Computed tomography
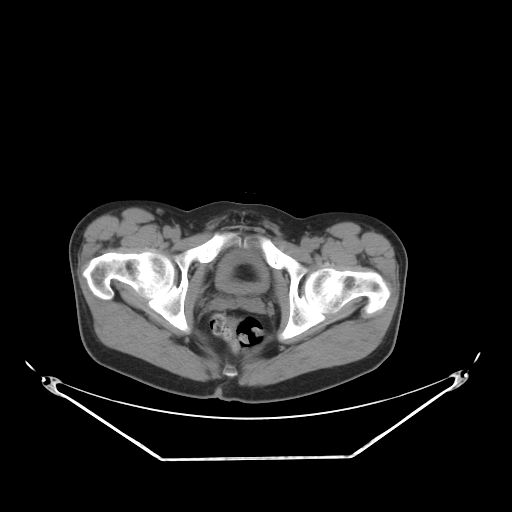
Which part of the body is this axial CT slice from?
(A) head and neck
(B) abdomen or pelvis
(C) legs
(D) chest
(B) abdomen or pelvis
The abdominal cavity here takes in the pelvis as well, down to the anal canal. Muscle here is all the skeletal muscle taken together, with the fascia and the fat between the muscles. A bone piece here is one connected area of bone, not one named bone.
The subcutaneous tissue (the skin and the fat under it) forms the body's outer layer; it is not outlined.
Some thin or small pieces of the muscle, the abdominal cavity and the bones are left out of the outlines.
The abdominal cavity is outlined by 249,242 252,242 260,250 265,261 272,268 271,281 280,317 278,326 273,333 267,335 258,345 239,359 230,361 221,357 208,339 197,328 194,315 196,302 204,284 206,272 218,255 233,244 246,246. The bones are outlined by 216,231 265,235 309,273 375,271 390,296 370,314 363,310 368,299 356,297 280,342 290,276 268,264 253,237 213,261 190,264 186,334 126,283 112,279 112,298 96,296 82,272 106,252 151,249 172,261 with a hole at 175,264 176,265 176,266 178,268 178,269 179,270 179,272 180,273 179,274 179,279 178,280 178,282 177,282 176,281 176,277 177,276 177,272 176,271 176,267 175,266. The torso is outlined by 115,199 153,199 186,210 228,200 267,204 296,217 325,211 351,211 379,218 397,233 408,258 403,308 391,354 374,370 337,386 298,398 266,403 182,396 98,364 86,352 79,335 68,242 76,223 89,210. The muscle is outlined by 128,207 140,207 151,213 155,213 188,232 198,233 208,229 219,228 224,224 258,226 266,228 272,234 289,241 341,221 352,221 372,227 389,240 393,246 395,258 399,266 397,305 381,343 362,359 310,371 262,387 241,386 235,380 225,381 224,379 205,382 195,381 104,345 95,334 91,313 79,284 77,276 78,241 81,232 96,217 111,210; inner edges: 216,231 265,235 309,273 375,271 390,296 370,314 356,297 280,342 290,276 273,268 278,326 230,361 195,323 211,261 187,271 189,334 130,285 112,279 114,294 102,299 82,275 106,252 151,249 172,261, then 226,370 232,370 233,371 235,371 237,373 237,374 235,376 234,376 233,377 230,377 229,376 227,376 226,375 225,375 224,374 224,371 225,371.